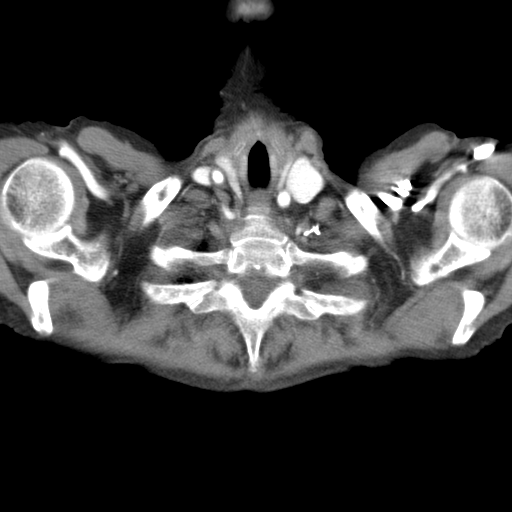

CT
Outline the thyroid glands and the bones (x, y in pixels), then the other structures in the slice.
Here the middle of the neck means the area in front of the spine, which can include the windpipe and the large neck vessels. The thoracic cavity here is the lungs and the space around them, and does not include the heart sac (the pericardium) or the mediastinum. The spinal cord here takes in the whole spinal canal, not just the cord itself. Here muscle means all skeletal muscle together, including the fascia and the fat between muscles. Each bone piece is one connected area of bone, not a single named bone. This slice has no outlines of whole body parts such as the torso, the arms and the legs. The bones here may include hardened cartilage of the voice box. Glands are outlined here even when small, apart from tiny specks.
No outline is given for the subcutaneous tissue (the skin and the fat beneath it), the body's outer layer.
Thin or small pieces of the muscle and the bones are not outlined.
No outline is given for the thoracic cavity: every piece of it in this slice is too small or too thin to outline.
{"thyroid_glands":[[[230,150],[233,150],[234,151],[234,156],[233,157],[233,159],[234,160],[234,166],[237,172],[238,191],[234,190],[231,187],[224,170],[222,169],[222,168],[220,167],[216,163],[215,161],[215,157],[217,154],[221,153],[222,152],[229,151]],[[287,160],[291,160],[293,162],[290,165],[290,167],[289,168],[289,169],[286,174],[286,180],[285,181],[285,182],[284,183],[281,184],[280,183],[280,178],[281,177],[281,169],[282,168],[282,165],[283,164],[283,163],[284,162],[285,162]]],"bones":[{"outer":[[249,206],[268,211],[302,250],[368,257],[364,270],[347,277],[320,265],[292,267],[299,287],[369,303],[352,315],[280,315],[261,340],[254,372],[228,312],[154,303],[140,287],[142,280],[214,278],[222,265],[170,272],[150,259],[150,246],[227,247]],"hole":[[252,270],[254,270],[257,272],[260,272],[261,271],[265,276],[274,280],[273,282],[273,286],[268,292],[264,300],[258,307],[256,307],[255,308],[250,306],[248,302],[245,299],[243,294],[243,291],[240,284],[240,278],[245,275],[247,275],[249,272]]},[[32,157],[47,157],[55,161],[70,178],[75,204],[67,222],[78,238],[100,244],[99,251],[93,254],[94,258],[99,258],[103,252],[109,258],[107,270],[99,281],[84,280],[72,272],[68,262],[32,251],[15,231],[0,222],[0,190],[10,172]],[[482,175],[497,179],[511,192],[511,241],[498,246],[487,258],[479,262],[459,268],[450,273],[448,276],[439,278],[430,283],[417,285],[411,278],[412,261],[418,259],[426,252],[438,249],[445,242],[450,230],[448,221],[448,209],[454,193],[472,178]],[[171,174],[177,174],[183,179],[183,183],[181,188],[176,195],[167,205],[167,206],[161,212],[161,213],[151,222],[150,222],[147,225],[144,226],[142,224],[142,220],[144,216],[144,213],[140,205],[141,199],[145,193],[153,184],[154,184],[157,181]],[[43,279],[52,279],[49,283],[49,299],[48,300],[48,304],[49,305],[49,310],[52,320],[52,324],[54,329],[52,334],[49,336],[42,336],[39,335],[33,329],[30,322],[31,309],[27,298],[27,288],[28,285],[33,281],[42,280]],[[462,288],[467,288],[468,289],[477,290],[482,292],[484,295],[485,301],[483,307],[474,320],[473,324],[476,327],[474,333],[465,344],[459,346],[453,346],[451,344],[451,338],[459,322],[463,310],[463,300],[461,296],[461,289]],[[353,186],[356,186],[363,191],[364,191],[375,205],[378,212],[378,216],[376,218],[376,225],[381,233],[381,236],[382,237],[382,242],[380,242],[378,240],[375,239],[364,228],[364,227],[360,223],[360,222],[347,207],[344,201],[344,197],[348,189]]],"middle_of_the_neck":[[[254,131],[274,138],[280,145],[284,154],[281,185],[297,158],[305,156],[309,160],[323,179],[322,188],[309,201],[294,203],[287,209],[262,211],[259,206],[247,206],[191,179],[196,165],[214,163],[238,192],[234,157],[240,154],[239,145],[246,134]]],"muscle":[{"outer":[[245,108],[261,108],[289,127],[311,129],[329,171],[355,185],[343,197],[346,207],[380,243],[378,209],[357,186],[373,160],[432,130],[458,142],[492,140],[511,151],[511,191],[486,174],[466,181],[449,201],[444,242],[410,263],[411,280],[423,286],[511,242],[511,304],[476,331],[486,298],[480,290],[462,287],[461,315],[450,338],[459,348],[406,349],[372,362],[318,366],[261,387],[164,369],[50,336],[55,329],[52,278],[27,285],[30,325],[0,294],[0,223],[32,252],[68,263],[73,274],[90,283],[104,277],[110,258],[105,251],[94,257],[101,244],[73,232],[68,221],[76,204],[74,185],[55,160],[25,159],[0,189],[0,138],[99,126],[174,168]],"holes":[[[254,131],[277,141],[283,163],[305,156],[323,179],[306,203],[267,212],[279,229],[305,251],[368,257],[364,270],[347,277],[295,265],[295,283],[369,303],[352,315],[280,315],[261,340],[261,362],[252,372],[228,312],[196,314],[183,303],[154,303],[140,281],[202,281],[222,270],[185,264],[170,272],[149,250],[153,244],[197,250],[203,240],[207,251],[230,245],[249,208],[194,182],[191,171],[215,164],[217,154]],[[171,174],[177,174],[183,179],[183,183],[181,188],[176,195],[167,205],[167,206],[161,212],[161,213],[151,222],[150,222],[147,225],[144,226],[142,224],[142,220],[144,216],[144,213],[140,205],[141,199],[145,193],[153,184],[154,184],[157,181]]]}],"spinal_cord":[[[252,270],[254,270],[257,272],[260,272],[261,271],[265,276],[274,280],[273,282],[273,286],[268,292],[264,300],[258,307],[256,307],[255,308],[250,306],[248,302],[245,299],[243,294],[243,291],[240,284],[240,278],[245,275],[247,275],[249,272]]]}